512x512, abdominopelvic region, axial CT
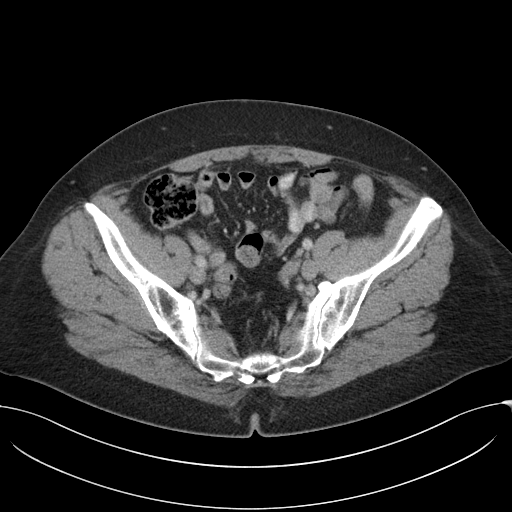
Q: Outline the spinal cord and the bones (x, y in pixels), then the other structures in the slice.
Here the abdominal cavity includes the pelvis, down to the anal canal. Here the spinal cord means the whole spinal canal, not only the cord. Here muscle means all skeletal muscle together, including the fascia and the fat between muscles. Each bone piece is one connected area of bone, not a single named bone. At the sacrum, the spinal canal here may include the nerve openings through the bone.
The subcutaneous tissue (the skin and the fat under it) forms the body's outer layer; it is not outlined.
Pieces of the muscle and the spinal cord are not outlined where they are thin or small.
A: {"spinal_cord":[[[265,373],[268,373],[267,373],[265,375],[258,375],[257,376],[256,376],[255,375],[254,375],[254,374],[255,374],[256,375],[263,375]]],"bones":[[[424,195],[442,207],[441,217],[374,279],[353,324],[321,362],[286,371],[277,382],[254,373],[249,384],[236,373],[215,381],[157,328],[83,207],[92,202],[113,220],[133,255],[193,302],[207,348],[235,360],[284,354],[319,283],[383,257]]],"torso":[[[233,98],[288,101],[351,114],[394,131],[434,160],[459,186],[482,223],[511,251],[511,358],[371,417],[271,437],[255,430],[249,437],[219,437],[166,429],[99,409],[41,383],[1,373],[0,255],[23,229],[51,186],[98,144],[142,118],[184,104]]],"abdominal_cavity":[[[249,154],[264,164],[345,162],[389,188],[391,210],[376,235],[348,238],[340,229],[318,235],[311,256],[325,279],[317,292],[271,350],[245,353],[176,289],[193,263],[188,242],[175,233],[161,238],[149,232],[124,205],[132,188],[152,174],[193,171]]],"muscle":[[[245,144],[340,155],[402,177],[428,194],[419,198],[383,256],[330,281],[314,262],[316,239],[327,230],[340,230],[348,239],[381,233],[392,210],[387,185],[337,159],[315,165],[264,163],[249,153],[193,170],[162,169],[136,183],[123,206],[149,233],[161,239],[175,234],[187,242],[192,263],[178,288],[144,265],[114,220],[86,200],[82,207],[109,259],[137,290],[156,328],[217,383],[235,374],[246,385],[258,376],[277,383],[286,372],[301,374],[318,366],[344,337],[375,279],[418,245],[444,208],[454,225],[453,257],[449,282],[430,309],[436,315],[431,345],[313,397],[253,387],[230,407],[143,381],[68,346],[41,268],[48,235],[63,210],[106,184],[194,153]],[[201,317],[208,317],[218,323],[231,336],[233,343],[236,346],[237,349],[241,353],[244,353],[245,354],[244,354],[240,358],[236,358],[235,359],[225,359],[224,358],[219,357],[217,355],[213,353],[208,348],[206,344],[205,332],[200,321],[200,318]],[[300,311],[304,311],[305,312],[305,314],[304,315],[303,320],[301,323],[300,328],[290,343],[286,351],[280,356],[278,354],[275,353],[272,350],[274,346],[275,341],[282,333],[282,332],[283,332],[284,330],[287,328],[287,327],[290,324],[294,316]]]}